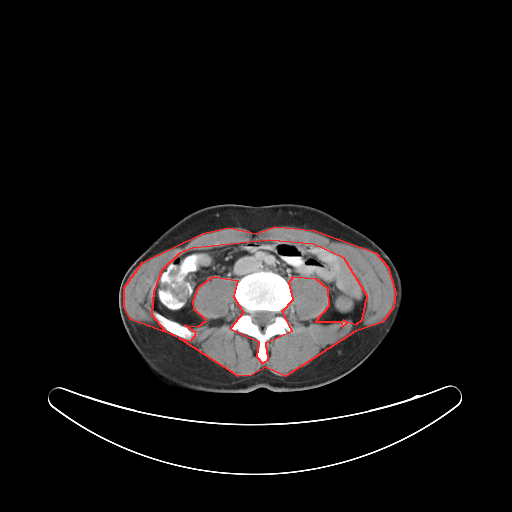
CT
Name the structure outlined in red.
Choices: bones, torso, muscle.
red: muscle.
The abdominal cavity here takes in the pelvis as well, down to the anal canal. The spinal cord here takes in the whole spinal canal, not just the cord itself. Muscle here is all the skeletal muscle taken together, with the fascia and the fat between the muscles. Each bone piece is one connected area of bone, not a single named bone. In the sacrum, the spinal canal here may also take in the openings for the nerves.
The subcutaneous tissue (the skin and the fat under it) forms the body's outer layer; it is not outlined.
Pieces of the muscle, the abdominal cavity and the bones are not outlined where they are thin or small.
{"muscle":[[[275,226],[314,230],[375,252],[387,266],[395,292],[393,307],[382,322],[355,331],[285,376],[265,367],[251,375],[238,376],[179,338],[191,340],[196,333],[185,325],[198,326],[206,320],[194,309],[193,301],[199,286],[213,276],[237,280],[233,296],[243,312],[230,328],[258,341],[256,356],[262,363],[268,359],[266,342],[292,330],[282,311],[293,299],[289,282],[293,276],[315,278],[327,288],[328,306],[315,321],[340,321],[342,326],[347,322],[343,320],[356,324],[362,319],[367,296],[344,258],[313,244],[268,240],[192,248],[179,253],[161,270],[153,291],[151,314],[164,330],[176,336],[130,319],[124,307],[124,287],[142,262],[202,233],[228,227],[256,233]]],"abdominal_cavity":[[[257,241],[299,243],[335,252],[351,267],[365,293],[361,319],[356,323],[350,318],[315,320],[330,303],[326,285],[301,275],[288,282],[262,267],[238,280],[213,275],[200,284],[192,304],[205,319],[201,324],[183,324],[154,310],[160,274],[179,254]]],"spinal_cord":[[[256,311],[267,311],[268,312],[271,312],[272,313],[273,313],[274,314],[274,316],[273,317],[273,320],[272,321],[272,322],[271,322],[264,326],[261,326],[260,325],[259,325],[258,324],[253,322],[253,320],[252,319],[252,314],[254,312],[255,312]]],"torso":[[[222,203],[298,203],[313,206],[357,229],[388,255],[402,284],[401,311],[391,331],[363,363],[331,383],[287,392],[266,388],[246,393],[206,392],[164,386],[146,377],[146,370],[127,335],[119,312],[118,290],[122,277],[134,260],[177,221],[195,210]]],"bones":[{"outer":[[260,268],[271,270],[282,276],[289,284],[292,294],[291,302],[281,311],[283,317],[290,324],[291,330],[284,334],[276,334],[265,342],[267,359],[264,362],[257,356],[259,341],[253,336],[231,328],[231,324],[244,312],[235,300],[235,284],[243,276]],"hole":[[256,311],[267,311],[268,312],[271,312],[272,313],[273,313],[274,314],[274,316],[273,317],[273,320],[272,321],[272,322],[271,322],[264,326],[261,326],[260,325],[259,325],[258,324],[253,322],[253,320],[252,319],[252,314],[254,312],[255,312]]},[[152,311],[155,311],[168,319],[173,320],[176,322],[178,322],[186,326],[191,331],[194,332],[195,333],[195,335],[191,339],[185,339],[184,338],[179,337],[167,331],[165,329],[164,329],[158,323],[158,322],[153,316],[152,314]]]}